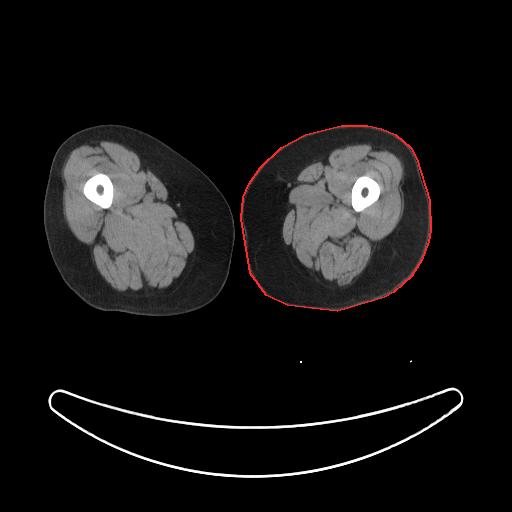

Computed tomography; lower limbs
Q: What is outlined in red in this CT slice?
A: red: left leg.
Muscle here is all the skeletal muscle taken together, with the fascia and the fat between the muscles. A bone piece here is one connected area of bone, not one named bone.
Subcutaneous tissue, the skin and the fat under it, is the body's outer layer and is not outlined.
The left leg is outlined by (341, 125) (367, 125) (381, 128) (395, 134) (410, 147) (416, 158) (429, 200) (430, 230) (428, 241) (421, 260) (411, 276) (393, 292) (384, 297) (337, 311) (287, 305) (266, 295) (250, 273) (241, 218) (243, 197) (249, 183) (260, 167) (281, 147) (305, 134). The muscle appears in 2 outlined pieces: piece 1: (90, 139) (114, 140) (144, 159) (156, 171) (192, 230) (196, 242) (196, 254) (191, 270) (171, 294) (159, 300) (151, 300) (143, 296) (125, 295) (112, 289) (97, 270) (90, 252) (75, 237) (68, 226) (63, 214) (64, 181) (62, 178) (62, 168) (70, 152) (79, 143) with a hole at (97, 173) (104, 173) (106, 174) (110, 178) (112, 182) (112, 184) (113, 185) (113, 198) (112, 199) (111, 205) (108, 208) (102, 208) (100, 207) (95, 203) (89, 200) (84, 195) (83, 193) (83, 186) (84, 185) (84, 183) (87, 180) (87, 179) (88, 179) (91, 176); piece 2: (363, 143) (384, 146) (401, 161) (405, 172) (404, 188) (402, 189) (404, 210) (395, 228) (379, 244) (379, 247) (372, 254) (368, 264) (355, 281) (343, 289) (329, 289) (305, 277) (293, 267) (282, 243) (282, 227) (280, 225) (281, 202) (291, 178) (305, 161) (328, 147) with a hole at (362, 175) (367, 175) (371, 177) (373, 179) (374, 179) (379, 184) (380, 186) (380, 193) (379, 194) (379, 196) (377, 200) (375, 202) (374, 202) (371, 205) (366, 207) (363, 210) (359, 211) (358, 212) (354, 210) (351, 204) (351, 189) (356, 179) (359, 176) (361, 176). The right leg is outlined by (106, 123) (127, 125) (161, 140) (203, 171) (228, 202) (235, 227) (229, 273) (218, 295) (203, 307) (171, 316) (145, 316) (119, 311) (102, 311) (91, 307) (78, 297) (66, 285) (56, 268) (49, 251) (43, 224) (43, 201) (53, 156) (59, 145) (71, 134) (89, 126). The bones appear in 2 outlined pieces: piece 1: (97, 173) (104, 173) (106, 174) (110, 178) (112, 182) (112, 184) (113, 185) (113, 198) (112, 199) (111, 205) (108, 208) (102, 208) (100, 207) (95, 203) (89, 200) (84, 195) (83, 193) (83, 186) (84, 185) (84, 183) (87, 180) (87, 179) (88, 179) (91, 176); piece 2: (362, 175) (367, 175) (371, 177) (373, 179) (374, 179) (379, 184) (380, 186) (380, 193) (379, 194) (379, 196) (377, 200) (375, 202) (374, 202) (371, 205) (366, 207) (363, 210) (359, 211) (358, 212) (354, 210) (351, 204) (351, 189) (356, 179) (359, 176) (361, 176).